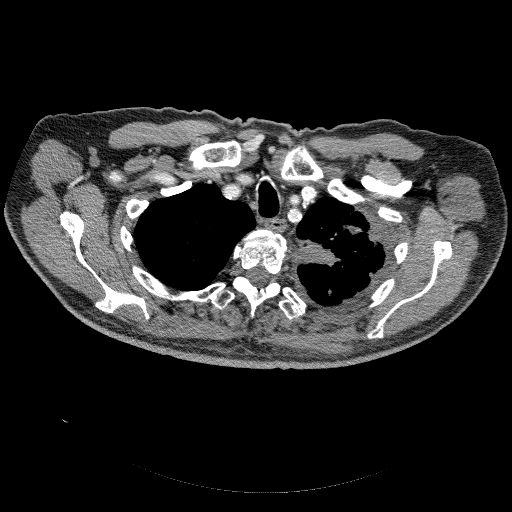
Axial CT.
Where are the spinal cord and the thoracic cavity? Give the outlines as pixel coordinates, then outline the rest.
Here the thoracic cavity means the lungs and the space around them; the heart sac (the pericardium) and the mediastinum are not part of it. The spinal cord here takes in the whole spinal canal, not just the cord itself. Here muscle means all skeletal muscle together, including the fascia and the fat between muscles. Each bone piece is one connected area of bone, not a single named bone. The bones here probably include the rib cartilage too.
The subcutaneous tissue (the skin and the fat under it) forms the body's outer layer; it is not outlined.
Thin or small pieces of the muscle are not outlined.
Outlined structures:
spinal cord: (256, 266) (260, 266) (261, 267) (262, 267) (269, 274) (269, 281) (268, 282) (268, 283) (264, 287) (261, 287) (260, 288) (258, 288) (257, 287) (256, 287) (254, 285) (253, 285) (250, 282) (250, 281) (246, 277) (246, 272) (248, 270) (249, 270) (251, 268) (253, 268)
thoracic cavity 1: (328, 194) (343, 203) (367, 207) (385, 221) (397, 224) (400, 230) (400, 239) (393, 249) (394, 264) (389, 275) (369, 295) (370, 301) (359, 308) (337, 311) (312, 303) (308, 304) (288, 283) (289, 257) (287, 254) (289, 249) (287, 240) (293, 237) (309, 206)
thoracic cavity 2: (197, 183) (213, 183) (219, 187) (225, 197) (247, 203) (254, 213) (256, 227) (247, 232) (235, 244) (230, 259) (218, 275) (218, 279) (198, 289) (174, 289) (162, 282) (146, 269) (134, 247) (132, 232) (136, 222) (149, 206) (150, 202) (158, 198) (167, 198) (179, 194)
mediastinum: (259, 161) (276, 176) (278, 177) (280, 174) (281, 178) (290, 185) (313, 183) (325, 189) (328, 193) (308, 206) (292, 237) (288, 239) (281, 233) (266, 227) (257, 226) (255, 213) (247, 202) (225, 196) (220, 187) (213, 182) (199, 182) (214, 172) (235, 173) (251, 167)
right arm: (48, 114) (52, 116) (59, 123) (64, 134) (65, 140) (66, 141) (66, 153) (65, 154) (64, 160) (61, 166) (50, 177) (43, 180) (41, 182) (26, 187) (16, 186) (11, 183) (11, 180) (15, 168) (18, 163) (18, 160) (21, 155) (21, 153) (37, 122) (42, 117)
bones 1: (257, 227) (286, 239) (287, 268) (280, 277) (308, 305) (305, 314) (296, 318) (289, 319) (280, 309) (278, 296) (266, 299) (250, 318) (242, 293) (236, 292) (222, 309) (209, 301) (169, 300) (153, 295) (132, 273) (134, 264) (174, 290) (204, 288) (230, 275) (236, 244); inner edge: (256, 266) (260, 266) (261, 267) (262, 267) (269, 274) (269, 281) (268, 282) (268, 283) (264, 287) (261, 287) (260, 288) (258, 288) (257, 287) (256, 287) (254, 285) (253, 285) (250, 282) (250, 281) (246, 277) (246, 272) (248, 270) (249, 270) (251, 268) (253, 268)
bones 2: (64, 210) (75, 212) (84, 223) (80, 249) (85, 261) (111, 288) (143, 297) (150, 315) (147, 320) (145, 320) (141, 308) (136, 304) (121, 305) (112, 313) (94, 306) (94, 302) (103, 298) (105, 293) (95, 277) (76, 257) (72, 239) (60, 224) (59, 215)
bones 3: (229, 139) (234, 139) (236, 140) (241, 146) (242, 149) (242, 158) (238, 165) (234, 167) (220, 165) (215, 167) (203, 167) (201, 169) (195, 169) (192, 166) (192, 162) (188, 159) (188, 157) (189, 154) (195, 148) (201, 146) (207, 142) (212, 142) (213, 141) (224, 141)
bones 4: (299, 145) (304, 146) (308, 150) (310, 155) (316, 161) (317, 164) (320, 167) (321, 167) (324, 172) (324, 177) (323, 178) (320, 179) (318, 181) (306, 180) (305, 179) (298, 179) (297, 180) (284, 180) (282, 178) (280, 173) (280, 167) (285, 155) (288, 151)
bones 5: (436, 240) (450, 241) (452, 253) (449, 258) (443, 259) (439, 263) (434, 283) (421, 296) (403, 303) (389, 316) (384, 323) (384, 335) (382, 338) (367, 338) (366, 333) (368, 330) (373, 328) (377, 322) (397, 302) (420, 291) (428, 282) (431, 276) (434, 261) (433, 244)
bones 6: (332, 177) (338, 177) (340, 178) (343, 183) (349, 189) (351, 189) (358, 193) (361, 196) (365, 198) (365, 200) (362, 202) (359, 202) (355, 205) (353, 205) (352, 204) (349, 204) (348, 203) (343, 202) (339, 200) (337, 198) (332, 196) (327, 191) (326, 189) (327, 182)
bones 7: (390, 277) (394, 277) (395, 279) (395, 283) (394, 284) (394, 286) (393, 288) (390, 291) (388, 295) (379, 304) (371, 308) (368, 308) (367, 306) (368, 304) (371, 301) (371, 300) (369, 298) (370, 295) (385, 280) (386, 280)
bones 8: (133, 196) (138, 199) (143, 199) (145, 198) (147, 199) (149, 202) (148, 206) (142, 212) (142, 213) (138, 217) (136, 221) (132, 220) (128, 216) (127, 212) (126, 211) (126, 209) (125, 208) (125, 205) (126, 204) (127, 200) (129, 198)
bones 9: (381, 204) (384, 204) (396, 210) (398, 210) (400, 212) (400, 214) (402, 217) (402, 220) (401, 222) (399, 223) (395, 223) (392, 221) (388, 221) (387, 220) (385, 220) (383, 218) (380, 217) (378, 215) (377, 213) (377, 211) (378, 210) (378, 207) (379, 205)
bones 10: (189, 180) (191, 181) (191, 183) (192, 184) (189, 188) (179, 193) (177, 193) (176, 194) (174, 194) (173, 195) (171, 195) (167, 197) (161, 197) (160, 196) (160, 190) (162, 187) (170, 187) (171, 186) (177, 186) (178, 185) (180, 185) (185, 181) (188, 181)
bones 11: (122, 225) (124, 225) (126, 227) (126, 228) (131, 233) (132, 235) (132, 237) (133, 238) (133, 245) (132, 246) (132, 248) (133, 249) (133, 252) (129, 252) (124, 247) (123, 244) (121, 242) (121, 240) (120, 239) (120, 235) (119, 234) (119, 230) (120, 229) (120, 227)
bones 12: (401, 241) (407, 241) (407, 242) (408, 243) (408, 249) (407, 250) (407, 253) (406, 254) (406, 255) (405, 256) (404, 259) (399, 264) (397, 264) (395, 261) (395, 258) (394, 257) (394, 249) (395, 248) (396, 245) (399, 242) (400, 242)
muscle 1: (183, 119) (211, 120) (234, 129) (286, 132) (296, 139) (316, 135) (358, 138) (388, 132) (423, 147) (419, 159) (407, 162) (417, 203) (435, 197) (438, 179) (458, 172) (468, 173) (481, 186) (485, 225) (479, 229) (478, 255) (468, 281) (459, 295) (429, 320) (348, 355) (302, 354) (253, 338) (234, 342) (168, 338) (143, 331) (112, 314) (121, 306) (136, 305) (147, 321) (151, 316) (147, 302) (134, 292) (111, 287) (93, 269) (81, 249) (85, 223) (78, 213) (64, 209) (58, 215) (59, 224) (71, 239) (76, 259) (104, 293) (92, 306) (47, 271) (22, 231) (20, 211) (32, 190) (28, 175) (31, 155) (44, 139) (55, 138) (81, 155) (85, 169) (95, 179) (122, 153) (108, 145) (111, 130) (134, 121) (167, 123) with holes at (299, 145) (324, 177) (288, 184) (325, 189) (338, 177) (374, 213) (381, 204) (400, 212) (399, 241) (408, 249) (394, 262) (387, 277) (394, 277) (394, 286) (379, 304) (337, 311) (309, 303) (304, 315) (289, 319) (275, 296) (250, 318) (239, 292) (219, 309) (209, 301) (153, 295) (137, 281) (131, 266) (146, 268) (119, 234) (122, 225) (131, 233) (136, 224) (125, 208) (129, 198) (151, 202) (162, 187) (193, 185) (259, 161) (278, 177) (285, 155) and at (229, 139) (234, 139) (236, 140) (241, 146) (242, 149) (242, 158) (238, 165) (234, 167) (220, 165) (215, 167) (203, 167) (201, 169) (195, 169) (192, 166) (192, 162) (188, 159) (188, 157) (189, 154) (195, 148) (201, 146) (207, 142) (212, 142) (213, 141) (224, 141) and at (436, 240) (450, 241) (452, 253) (449, 258) (443, 259) (439, 263) (434, 283) (421, 296) (403, 303) (389, 316) (384, 323) (384, 335) (382, 338) (367, 338) (366, 333) (368, 330) (373, 328) (377, 322) (397, 302) (420, 291) (428, 282) (431, 276) (434, 261) (433, 244)
muscle 2: (230, 261) (231, 261) (232, 262) (232, 266) (231, 267) (231, 269) (229, 271) (229, 275) (227, 277) (226, 277) (225, 278) (223, 278) (222, 279) (219, 279) (219, 275) (225, 269) (225, 268) (228, 265) (228, 264) (229, 263) (229, 262)
torso: (136, 106) (211, 109) (227, 118) (260, 118) (296, 129) (389, 118) (479, 142) (494, 162) (507, 209) (499, 261) (473, 302) (436, 334) (355, 365) (226, 367) (104, 335) (65, 309) (30, 267) (10, 235) (4, 207) (10, 183) (37, 185) (65, 160) (65, 134) (49, 114)